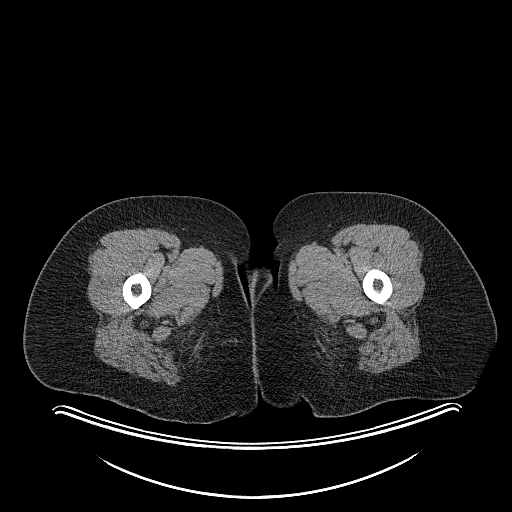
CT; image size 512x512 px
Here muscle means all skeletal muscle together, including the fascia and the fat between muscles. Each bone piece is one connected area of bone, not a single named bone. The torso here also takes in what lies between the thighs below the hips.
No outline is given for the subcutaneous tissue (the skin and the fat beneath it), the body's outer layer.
{"muscle":[{"outer":[[134,227],[160,227],[171,231],[181,240],[211,250],[223,267],[223,288],[217,299],[203,310],[188,337],[186,354],[182,358],[183,376],[174,387],[116,369],[100,361],[93,352],[94,328],[98,317],[86,294],[89,280],[86,270],[87,258],[105,233]],"hole":[[137,272],[142,272],[144,274],[145,274],[146,277],[148,279],[151,285],[151,295],[149,299],[147,300],[143,304],[142,304],[138,308],[136,309],[132,309],[123,298],[123,296],[122,295],[122,286],[123,285],[124,281],[128,276],[134,273],[136,273]]},{"outer":[[359,222],[399,225],[412,233],[423,253],[421,272],[424,276],[425,288],[423,298],[416,309],[421,353],[410,362],[377,375],[361,370],[354,359],[354,352],[326,333],[312,314],[297,304],[289,290],[287,278],[290,258],[300,246],[330,238],[342,227]],"hole":[[372,268],[377,268],[385,272],[389,276],[390,278],[390,280],[391,281],[391,283],[392,284],[392,292],[390,296],[383,304],[379,304],[373,301],[371,299],[370,299],[364,293],[363,291],[363,288],[362,287],[362,280],[366,272],[368,270]]}],"torso":[[[250,257],[251,258],[251,265],[252,266],[258,266],[262,264],[263,265],[264,264],[265,265],[270,266],[274,277],[256,301],[254,305],[254,309],[252,312],[251,301],[248,296],[248,284],[247,283],[245,273],[244,272],[244,268],[246,264],[249,261]]],"bones":[[[372,268],[377,268],[385,272],[389,276],[390,278],[390,280],[391,281],[391,283],[392,284],[392,292],[390,296],[383,304],[379,304],[373,301],[371,299],[370,299],[364,293],[363,291],[363,288],[362,287],[362,280],[366,272],[368,270]],[[137,272],[142,272],[144,274],[145,274],[146,277],[148,279],[151,285],[151,295],[149,299],[147,300],[143,304],[142,304],[138,308],[136,309],[132,309],[123,298],[123,296],[122,295],[122,286],[123,285],[124,281],[128,276],[134,273],[136,273]]],"left_leg":[[[315,191],[399,195],[424,206],[452,233],[484,285],[497,326],[494,346],[469,393],[453,399],[391,400],[341,417],[314,416],[303,400],[287,408],[263,400],[253,362],[253,312],[261,295],[274,278],[276,281],[272,222],[290,200]]],"right_leg":[[[154,194],[191,195],[219,202],[237,214],[248,230],[250,256],[244,267],[238,267],[238,273],[250,301],[252,362],[259,393],[255,409],[245,416],[208,424],[161,420],[96,396],[49,388],[36,379],[26,363],[23,326],[29,297],[61,237],[99,205]]]}